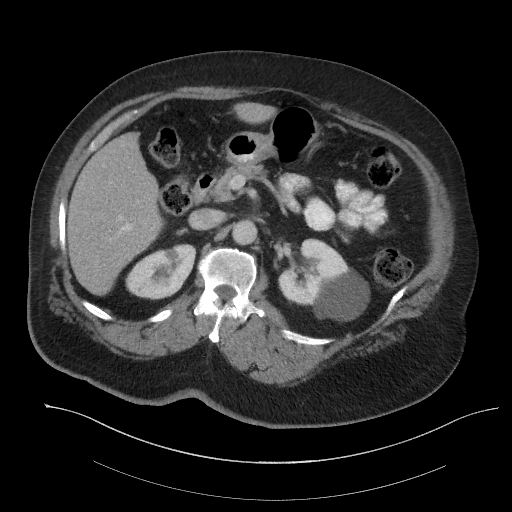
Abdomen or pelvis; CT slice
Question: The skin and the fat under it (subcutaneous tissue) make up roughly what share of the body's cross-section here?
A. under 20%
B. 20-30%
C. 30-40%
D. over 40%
Answer: C. 30-40%
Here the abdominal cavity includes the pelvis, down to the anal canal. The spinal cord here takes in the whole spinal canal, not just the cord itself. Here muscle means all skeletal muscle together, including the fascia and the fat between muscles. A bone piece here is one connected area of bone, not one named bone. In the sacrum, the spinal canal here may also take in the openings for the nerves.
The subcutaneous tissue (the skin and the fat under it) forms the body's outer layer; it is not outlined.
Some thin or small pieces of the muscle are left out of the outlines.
The bones appear in 7 outlined pieces: piece 1: 217,247 237,248 254,256 257,274 248,298 262,308 265,315 260,317 252,313 243,323 238,318 224,316 218,330 219,340 212,342 208,335 215,316 195,315 193,310 204,288 204,281 197,269 198,262 211,248 with a hole at 220,285 228,285 229,286 232,287 235,290 235,291 236,292 236,294 233,297 232,297 229,301 223,301 222,300 221,300 220,299 219,296 217,294 217,293 216,292 215,292 215,291 214,290 217,286 219,286; piece 2: 133,109 138,109 139,110 138,113 136,115 134,115 130,119 122,122 119,125 114,128 108,135 107,138 97,148 97,149 92,152 88,151 87,149 90,142 104,127 114,121 118,117 119,117 125,112 127,112; piece 3: 283,328 285,329 288,329 289,330 291,330 304,335 311,336 312,337 318,337 319,338 334,338 334,340 329,343 326,343 325,344 317,344 316,345 297,343 292,340 289,340 283,337 280,331 280,330; piece 4: 62,199 63,199 64,200 64,204 65,205 65,251 64,252 61,249 61,248 60,247 60,243 59,242 59,228 58,227 58,212 59,211 59,204 60,203 60,202 61,201 61,200; piece 5: 83,299 84,299 85,300 87,300 89,302 90,302 91,303 96,305 98,307 101,308 104,311 105,311 107,313 108,313 113,318 111,320 104,320 103,319 94,315 92,313 91,313 82,304 82,300; piece 6: 405,285 407,285 407,288 406,289 405,292 403,294 403,295 396,302 395,305 393,307 393,308 391,310 391,311 387,315 387,316 384,319 381,320 381,318 382,317 392,296 394,294 395,294 403,286 404,286; piece 7: 168,308 171,308 172,309 172,312 171,314 166,319 164,320 162,320 161,321 156,321 155,322 151,322 147,320 147,319 150,316 155,314 157,312 161,310 163,310 164,309 167,309. The torso is outlined by 226,49 276,51 355,66 417,98 453,139 477,229 479,267 461,359 420,402 347,425 271,429 234,419 194,397 161,406 134,404 52,367 36,351 26,318 29,219 36,180 52,145 83,106 122,75 154,62. The abdominal cavity is outlined by 272,91 300,96 390,141 421,174 428,203 426,260 379,317 337,337 295,331 266,297 264,267 253,254 230,246 211,247 198,260 189,288 148,317 119,317 83,298 68,264 66,208 90,155 163,101 225,100. The spinal cord is outlined by 220,285 228,285 229,286 232,287 235,290 235,291 236,292 236,294 233,297 232,297 229,301 223,301 222,300 221,300 220,299 219,296 217,294 217,293 216,292 215,292 215,291 214,290 217,286 219,286. The muscle is outlined by 210,85 212,86 224,86 225,87 226,86 285,87 318,97 321,100 324,101 336,103 344,108 355,111 365,117 387,126 412,142 432,163 441,178 441,181 446,189 447,196 452,206 454,218 454,247 451,257 451,266 439,291 434,296 434,299 429,304 429,307 424,310 418,322 408,330 405,339 403,341 390,345 384,349 381,349 378,352 369,353 365,356 358,357 329,367 316,373 311,378 304,382 301,382 297,385 279,387 275,384 264,384 248,377 245,373 239,371 232,366 215,345 213,344 210,345 207,342 202,342 182,351 156,357 151,360 135,360 118,355 109,351 105,347 98,344 89,337 86,336 77,328 67,325 52,313 52,311 49,308 47,301 49,290 49,273 50,272 49,211 52,196 54,193 55,184 69,155 80,137 98,118 109,109 123,101 150,92 162,90 171,91 177,87 182,86 209,86 with a hole at 272,91 300,96 346,124 390,141 405,152 421,174 428,203 428,253 387,316 381,320 382,313 367,327 325,344 302,344 286,339 280,330 291,327 266,297 269,277 262,265 257,268 248,298 265,315 252,313 243,323 238,318 224,316 217,342 208,337 215,316 193,312 204,288 198,272 189,288 158,310 172,309 164,320 124,318 109,309 103,310 113,318 104,320 91,313 82,304 83,298 72,281 67,254 60,247 58,227 59,204 63,199 67,207 72,184 92,153 87,149 90,142 104,127 133,109 138,109 138,113 114,128 109,137 169,99 225,100.